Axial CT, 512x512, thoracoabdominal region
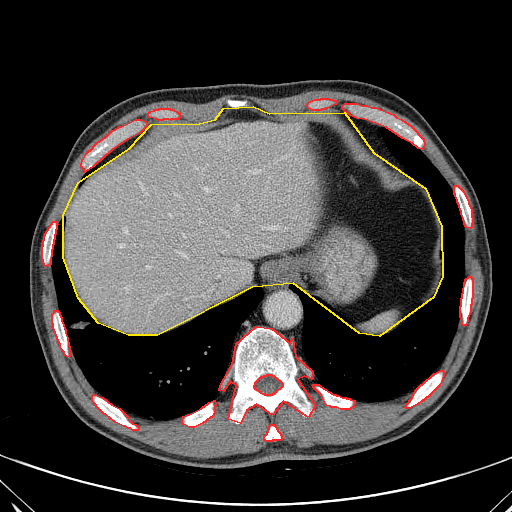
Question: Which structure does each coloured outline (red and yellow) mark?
Answer: red: bones; yellow: abdominal cavity.
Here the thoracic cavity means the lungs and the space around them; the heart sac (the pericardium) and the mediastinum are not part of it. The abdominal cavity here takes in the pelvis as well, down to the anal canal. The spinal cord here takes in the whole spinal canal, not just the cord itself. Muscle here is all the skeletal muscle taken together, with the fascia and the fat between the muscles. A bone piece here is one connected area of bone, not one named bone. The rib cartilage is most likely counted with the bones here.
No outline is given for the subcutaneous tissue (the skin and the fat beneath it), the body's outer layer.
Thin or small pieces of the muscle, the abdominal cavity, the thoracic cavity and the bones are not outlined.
{"bones":[{"outer":[[256,326],[271,328],[290,343],[292,338],[295,356],[312,371],[311,379],[304,376],[297,379],[315,405],[308,417],[283,401],[272,415],[256,404],[246,410],[240,423],[228,419],[236,385],[230,381],[223,391],[219,390],[220,385],[232,364],[236,343]],"hole":[[267,374],[270,374],[271,375],[273,375],[282,383],[282,386],[273,394],[272,394],[271,395],[265,395],[264,394],[261,393],[256,389],[255,389],[255,388],[254,387],[255,382],[261,376],[263,376],[264,375],[266,375]]},[[345,103],[356,103],[361,105],[366,105],[371,107],[375,107],[393,114],[396,117],[401,119],[411,126],[423,139],[424,144],[422,149],[418,148],[412,143],[402,138],[386,127],[364,119],[356,118],[350,115],[342,108],[342,105]],[[135,119],[141,119],[145,121],[146,122],[146,125],[145,127],[139,133],[127,139],[112,149],[93,166],[84,172],[84,170],[81,166],[81,163],[86,153],[89,150],[90,150],[96,143],[106,136],[112,130],[115,129],[119,126],[121,126]],[[94,394],[102,397],[111,404],[119,408],[127,416],[129,420],[132,423],[135,424],[138,427],[138,429],[137,430],[133,430],[130,428],[128,428],[125,426],[123,426],[115,422],[105,414],[104,414],[96,406],[96,405],[94,403],[92,399],[92,395]],[[440,370],[442,370],[444,372],[444,373],[443,374],[442,379],[439,385],[427,397],[426,397],[423,400],[422,400],[417,404],[409,408],[406,408],[405,407],[406,406],[406,404],[412,397],[412,395],[415,391],[415,390],[421,384],[422,384],[434,373]],[[313,384],[318,384],[320,386],[333,394],[335,394],[336,395],[338,395],[342,397],[345,397],[346,398],[349,398],[350,399],[354,400],[354,404],[353,406],[349,409],[340,409],[336,407],[331,407],[330,406],[326,405],[321,395],[313,387],[312,385]],[[213,400],[214,400],[215,402],[215,405],[214,406],[214,413],[211,417],[210,417],[202,423],[194,427],[189,427],[183,424],[182,422],[182,418],[183,416],[187,414],[189,414],[201,408],[203,406],[204,406],[206,404],[207,404],[209,402]],[[469,276],[470,276],[472,279],[472,298],[471,299],[471,304],[470,305],[470,311],[467,318],[467,321],[465,325],[463,325],[462,324],[462,321],[460,317],[460,306],[461,305],[461,298],[462,297],[462,293],[463,292],[464,282],[465,281],[465,279]],[[55,310],[57,310],[59,312],[59,314],[61,317],[61,320],[65,330],[65,333],[67,337],[68,345],[69,346],[69,356],[68,357],[65,355],[64,352],[62,350],[60,346],[60,344],[57,339],[57,337],[53,327],[53,324],[52,323],[52,314]],[[455,185],[457,185],[462,190],[468,201],[468,203],[471,210],[471,216],[472,217],[472,223],[471,224],[471,227],[470,228],[466,227],[464,224],[463,218],[461,214],[461,211],[460,210],[459,205],[457,202],[457,200],[454,193],[454,186]],[[53,221],[55,221],[57,224],[56,225],[56,229],[55,230],[55,234],[54,235],[54,239],[53,240],[53,244],[52,245],[52,249],[51,250],[50,264],[46,266],[44,265],[43,260],[42,259],[42,246],[43,245],[43,240],[44,239],[45,233]],[[159,108],[169,108],[170,109],[172,109],[176,111],[178,113],[179,113],[179,115],[180,116],[177,119],[171,119],[170,120],[168,119],[163,119],[162,120],[158,120],[157,119],[149,117],[148,116],[148,113],[150,111],[154,110],[155,109],[158,109]],[[321,98],[328,98],[329,99],[332,99],[333,100],[335,100],[336,101],[336,103],[335,104],[327,108],[325,108],[324,109],[321,109],[320,110],[312,110],[308,108],[307,106],[307,104],[308,102],[314,99],[320,99]],[[271,424],[273,424],[276,427],[276,428],[277,429],[277,430],[280,433],[280,434],[281,435],[281,439],[280,440],[272,440],[271,441],[266,441],[264,439],[264,436],[267,433],[267,432],[268,431],[268,429],[269,428],[269,426]]],"abdominal_cavity":[[[253,106],[269,113],[344,112],[373,152],[425,188],[441,226],[442,276],[433,297],[379,336],[359,333],[293,283],[252,287],[157,335],[128,335],[98,323],[78,298],[63,257],[63,215],[78,182],[129,148],[151,124],[199,123],[215,119],[223,108]]],"spinal_cord":[[[267,374],[270,374],[271,375],[273,375],[282,383],[282,386],[273,394],[272,394],[271,395],[265,395],[264,394],[261,393],[256,389],[255,389],[255,388],[254,387],[255,382],[261,376],[263,376],[264,375],[266,375]]],"torso":[[[312,79],[358,80],[399,95],[426,119],[473,186],[491,254],[492,293],[477,350],[461,382],[432,416],[408,434],[333,458],[274,460],[237,468],[195,467],[136,452],[95,431],[72,411],[58,391],[30,305],[33,231],[76,139],[102,112],[139,93]]],"muscle":[{"outer":[[327,89],[328,90],[341,91],[364,96],[407,117],[418,125],[425,131],[438,147],[452,169],[458,175],[464,184],[471,197],[477,224],[477,256],[480,262],[483,275],[483,295],[481,305],[479,309],[476,330],[471,345],[460,368],[450,383],[439,397],[431,405],[420,411],[412,418],[401,425],[374,438],[345,444],[316,444],[310,447],[298,447],[295,445],[289,444],[284,441],[277,441],[276,442],[268,442],[265,446],[258,451],[251,453],[239,453],[221,457],[197,458],[196,457],[191,457],[166,452],[132,437],[118,433],[100,423],[88,414],[75,400],[74,397],[64,384],[53,361],[48,341],[47,330],[42,312],[42,303],[41,302],[42,285],[40,281],[39,271],[37,265],[39,245],[42,238],[42,235],[45,231],[45,221],[55,203],[61,185],[74,160],[89,143],[105,131],[123,115],[138,107],[152,102],[163,101],[164,100],[174,100],[175,101],[182,101],[191,103],[206,103],[228,94],[247,95],[248,96],[254,96],[259,98],[269,99],[270,98],[288,97],[302,93],[305,91],[326,90]],"holes":[[[321,98],[336,101],[325,110],[346,113],[342,105],[356,103],[386,111],[407,123],[423,139],[421,151],[451,189],[457,185],[468,201],[472,223],[470,228],[463,225],[463,233],[464,278],[472,279],[470,311],[465,325],[459,318],[436,370],[444,372],[439,385],[409,408],[405,407],[413,394],[409,392],[379,401],[355,399],[352,407],[340,409],[325,404],[312,385],[318,383],[314,377],[303,376],[297,379],[315,405],[311,415],[302,416],[288,401],[281,402],[272,415],[256,404],[236,424],[228,419],[236,388],[230,381],[213,399],[213,415],[194,427],[183,424],[182,415],[160,420],[126,413],[137,430],[115,422],[94,403],[92,395],[100,394],[84,375],[72,349],[67,357],[60,346],[52,323],[53,312],[59,310],[52,267],[44,265],[42,259],[45,233],[53,221],[60,221],[85,173],[81,166],[84,156],[112,130],[132,120],[141,119],[147,126],[158,122],[148,113],[159,108],[179,113],[179,122],[199,123],[215,119],[228,108],[227,99],[247,100],[266,112],[283,113],[311,112],[308,102]],[[271,424],[273,424],[276,427],[276,428],[277,429],[277,430],[280,433],[280,434],[281,435],[281,439],[280,440],[272,440],[271,441],[266,441],[264,439],[264,436],[267,433],[267,432],[268,431],[268,429],[269,428],[269,426]]]}],"thoracic_cavity":[[[382,127],[421,150],[453,191],[463,222],[464,281],[456,330],[436,371],[413,392],[365,401],[333,393],[316,381],[304,361],[303,304],[290,285],[319,298],[367,337],[393,332],[436,294],[443,276],[438,210],[426,188],[406,175],[406,166],[388,148]],[[63,217],[62,257],[69,281],[87,313],[98,324],[117,333],[140,337],[165,334],[252,288],[262,288],[261,300],[240,325],[235,337],[231,364],[212,400],[171,419],[142,418],[125,413],[101,396],[91,385],[69,345],[52,272],[52,250],[57,225]],[[94,166],[95,166],[95,169],[91,173],[90,173],[89,174],[89,175],[88,175],[87,176],[87,177],[86,177],[85,178],[85,179],[82,182],[81,182],[80,181],[80,179],[82,177],[82,176],[87,171],[88,171],[92,167],[93,167]]],"mediastinum":[[[268,286],[289,286],[301,301],[303,308],[301,333],[303,360],[300,356],[296,356],[293,350],[292,346],[294,343],[292,337],[290,338],[290,342],[283,333],[265,325],[256,325],[248,329],[236,341],[241,325],[262,300],[264,295],[263,288]],[[345,113],[347,113],[356,119],[364,120],[381,126],[380,133],[387,148],[392,155],[403,166],[405,166],[405,168],[400,169],[399,167],[388,163],[383,157],[378,155],[375,151],[373,151],[366,142],[362,139],[362,137],[358,133],[356,128],[350,123]],[[141,132],[142,132],[142,136],[139,139],[134,142],[129,147],[125,149],[122,152],[119,153],[116,156],[115,156],[106,163],[96,167],[95,165],[98,162],[99,162],[100,160],[101,160],[105,156],[106,156],[112,150],[113,150],[127,140],[136,136]]]}